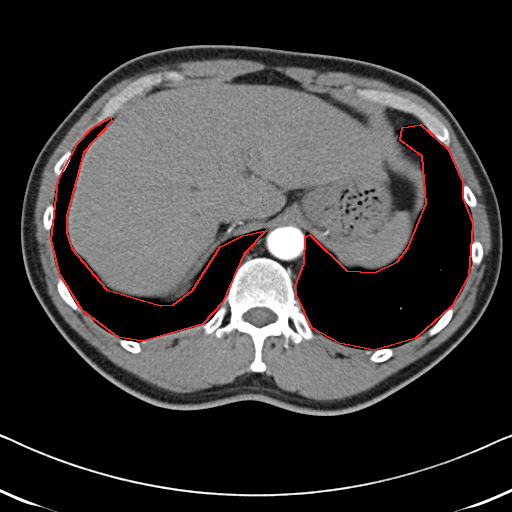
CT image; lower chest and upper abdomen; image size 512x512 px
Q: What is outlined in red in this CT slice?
A: red: thoracic cavity.
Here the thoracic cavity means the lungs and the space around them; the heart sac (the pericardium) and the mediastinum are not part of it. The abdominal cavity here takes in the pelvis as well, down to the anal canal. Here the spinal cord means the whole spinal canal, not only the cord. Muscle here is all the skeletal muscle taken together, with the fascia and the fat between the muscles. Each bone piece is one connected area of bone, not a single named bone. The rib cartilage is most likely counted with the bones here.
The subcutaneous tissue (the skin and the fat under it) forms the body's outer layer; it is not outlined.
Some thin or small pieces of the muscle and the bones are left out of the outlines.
Outlined structures:
thoracic cavity 1: 420,124 447,148 462,182 462,197 472,223 468,275 451,306 415,338 374,350 339,343 312,328 296,294 295,286 304,263 305,236 309,234 346,270 374,272 397,261 408,247 426,203 422,156 400,140 402,127
thoracic cavity 2: 110,117 111,121 83,152 66,215 66,233 71,248 106,289 160,305 173,304 192,290 220,246 242,235 266,230 243,254 222,302 202,324 142,341 118,337 82,310 60,275 51,240 58,179 78,142 91,128
torso: 199,44 337,55 404,73 449,108 489,176 503,243 493,295 474,327 445,357 376,403 339,415 298,413 255,400 192,410 160,407 124,391 89,365 32,290 21,252 20,218 31,168 47,139 116,66 150,51
mediastinum 1: 283,223 295,224 296,226 301,228 305,234 305,248 303,254 302,269 295,285 291,276 291,269 289,267 284,266 273,258 266,256 250,257 239,264 247,250 258,239 264,236 267,233 268,229 272,226
mediastinum 2: 390,108 392,109 394,109 395,110 399,110 402,112 405,112 408,114 411,114 421,123 419,124 408,124 407,125 404,125 402,126 399,129 399,132 393,126 390,120 390,116 388,112 388,110
bones 1: 256,257 273,259 290,269 296,297 315,335 298,343 290,341 286,348 282,335 268,336 261,350 261,359 266,366 263,372 250,369 255,349 249,334 234,329 218,338 214,332 205,334 197,327 215,314 237,267; inner edge: 256,307 264,307 272,311 275,314 276,316 276,318 275,320 270,323 268,323 260,327 258,327 252,324 247,320 246,320 244,318 244,315 245,313 247,312 250,309 252,308 255,308
bones 2: 348,85 352,85 355,88 375,89 381,91 392,92 409,98 412,101 424,107 446,127 449,133 450,139 450,143 448,147 440,141 411,113 382,105 379,103 375,103 361,99 356,95 352,95 342,91 340,89
bones 3: 171,70 181,73 184,77 183,79 173,81 164,80 159,85 156,85 150,89 134,95 124,102 112,116 107,117 101,122 96,124 97,116 100,113 106,102 112,96 115,95 131,82 148,74 157,72 163,73
bones 4: 59,277 60,277 62,279 63,282 65,284 71,296 73,298 73,299 75,301 77,305 81,309 81,311 80,312 79,311 77,311 73,309 68,304 67,304 63,300 63,299 59,294 58,290 57,289 57,280
bones 5: 450,307 452,307 453,308 453,313 452,314 452,316 451,317 450,320 448,322 448,323 442,329 441,329 437,333 436,333 435,334 430,336 427,333 427,331 434,324 435,324 436,323 436,322 442,316 442,315
bones 6: 68,150 70,150 71,151 71,157 70,158 70,160 69,161 67,166 61,173 61,174 59,176 57,176 54,173 54,170 53,169 54,168 54,165 56,163 56,162 61,157 61,156 66,151 67,151
bones 7: 119,338 120,338 121,339 125,339 126,340 130,340 131,341 135,341 136,342 141,342 140,343 140,346 141,347 141,350 139,352 138,352 137,353 134,353 133,352 131,352 130,351 125,349 119,343
muscle: 212,59 244,59 271,66 345,72 378,79 420,96 448,121 480,185 491,247 474,306 446,340 374,386 340,399 318,400 284,390 263,373 267,366 262,350 268,337 282,336 286,349 290,342 312,340 316,336 313,329 339,344 371,350 372,362 388,360 394,354 392,348 425,332 431,337 449,323 454,313 452,305 466,283 471,266 478,266 484,256 482,243 473,238 470,209 477,205 477,198 463,183 448,149 451,139 447,127 434,114 392,91 352,84 334,89 301,82 269,68 185,79 181,72 171,69 131,81 105,102 95,125 55,162 52,169 58,178 54,198 42,214 42,226 50,231 60,276 56,280 58,294 73,310 82,311 116,336 125,350 137,354 146,340 195,327 205,335 214,333 218,339 236,330 251,338 252,372 232,382 192,392 164,389 112,362 64,319 47,291 34,216 42,174 50,156 91,105 120,81 156,66
spinal cord: 256,307 264,307 272,311 275,314 276,316 276,318 275,320 270,323 268,323 260,327 258,327 252,324 247,320 246,320 244,318 244,315 245,313 247,312 250,309 252,308 255,308
abdominal cavity: 265,69 389,108 389,120 399,140 420,154 425,176 424,207 403,253 379,270 346,269 301,227 283,222 224,242 205,264 191,290 173,303 160,304 106,288 74,251 67,233 68,209 89,144 124,103 156,86